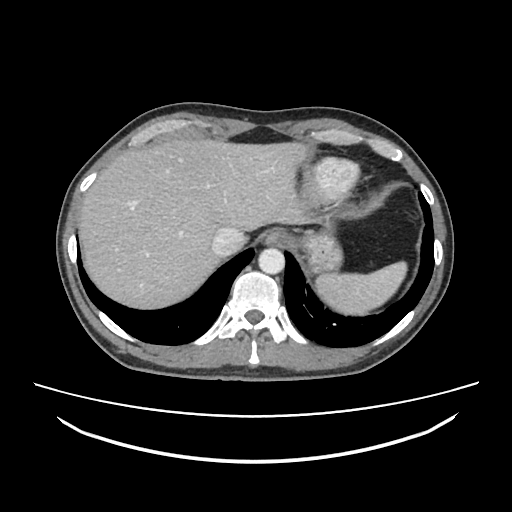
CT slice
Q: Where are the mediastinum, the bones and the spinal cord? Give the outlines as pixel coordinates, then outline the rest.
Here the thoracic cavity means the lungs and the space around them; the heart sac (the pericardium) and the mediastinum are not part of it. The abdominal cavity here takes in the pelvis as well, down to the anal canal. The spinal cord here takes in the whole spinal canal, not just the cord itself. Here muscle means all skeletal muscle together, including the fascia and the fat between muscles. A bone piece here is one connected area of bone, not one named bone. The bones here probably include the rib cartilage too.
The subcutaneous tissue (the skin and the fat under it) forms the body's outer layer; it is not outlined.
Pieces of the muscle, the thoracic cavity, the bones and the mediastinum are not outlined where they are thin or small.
A: Outlines:
mediastinum 1: 335,219 359,216 394,185 401,182 411,184 410,176 399,164 360,145 347,147 312,142 291,137 264,127 259,127 244,132 225,141 298,141 304,143 307,146 307,150 298,164 294,176 295,191 297,198 312,214
mediastinum 2: 283,286 285,254 287,252 289,253 290,252 283,232 282,231 277,231 273,233 266,234 258,240 257,243 251,248 254,248 255,249 252,259 241,271 243,271 245,273 246,272 255,271 271,276 279,276 282,279
bones 1: 254,365 259,363 257,338 265,330 275,343 288,337 302,345 309,342 293,325 285,305 278,301 275,280 255,272 238,279 233,295 217,319 205,333 191,342 201,346 216,337 234,337 243,330 251,340 248,362 with a hole at 253,324 254,324 255,323 256,323 257,322 258,322 263,317 263,315 260,312 259,312 258,311 249,311 247,313 246,313 246,314 245,315 245,316 247,318 247,319 251,323 252,323
bones 2: 396,162 399,162 402,159 402,152 399,149 395,148 385,141 377,140 376,139 367,139 361,136 350,134 343,131 334,131 333,130 311,130 306,132 308,137 329,143 351,144 352,143 364,142 376,152
bones 3: 129,146 135,146 139,143 143,143 155,134 170,131 174,129 179,129 182,127 186,126 189,124 190,122 186,120 168,120 167,121 165,121 163,123 158,123 151,127 146,128 145,130 132,137 128,143 128,145
bones 4: 374,346 376,345 378,345 384,342 386,340 393,337 395,335 399,333 411,321 411,320 414,316 414,314 415,313 415,310 414,309 411,310 408,313 407,313 390,330 389,330 381,337 374,340 372,342 372,344
bones 5: 131,342 135,342 135,338 132,337 129,334 128,334 125,331 124,331 102,311 99,310 97,308 96,309 96,313 97,314 99,319 102,322 102,323 108,329 109,329 116,335 117,335 128,341 130,341
bones 6: 78,269 78,264 77,263 77,260 78,259 78,248 77,247 77,238 76,237 76,234 74,233 72,234 69,237 68,239 68,242 67,243 67,250 68,251 69,258 72,264 76,268
bones 7: 434,268 435,267 436,267 439,265 439,264 441,261 441,259 442,258 442,255 443,254 443,251 442,250 442,246 441,245 441,243 440,242 440,241 437,238 435,238 434,239 434,242 433,243 433,258 434,259
bones 8: 81,192 85,192 88,189 88,188 91,185 91,184 94,181 95,178 97,176 97,173 96,172 93,172 91,174 88,175 85,178 84,178 84,179 82,181 82,182 80,185 80,187 79,188 79,190
bones 9: 430,207 433,205 433,196 432,195 432,194 431,193 430,190 424,184 421,183 419,185 419,190 420,191 420,192 423,195 423,196 424,197 425,200 427,202 428,205
spinal cord: 253,324 254,324 255,323 256,323 257,322 258,322 263,317 263,315 260,312 259,312 258,311 249,311 247,313 246,313 246,314 245,315 245,316 247,318 247,319 251,323 252,323
abdominal cavity: 346,316 381,312 414,282 425,221 413,185 394,186 359,217 335,220 312,215 296,198 293,176 304,144 182,140 120,155 86,192 76,233 82,267 100,291 125,306 180,303 232,256 266,233 282,230 314,292
thoracic cavity 1: 336,348 355,347 381,336 412,309 422,296 433,269 432,243 434,236 429,207 419,192 426,226 416,279 396,304 381,313 359,317 346,317 332,312 313,292 295,258 288,253 286,254 283,294 291,320 308,339
thoracic cavity 2: 160,345 179,345 187,343 197,338 208,329 216,319 225,302 224,300 231,283 251,259 254,249 236,255 221,265 192,296 180,304 153,310 125,307 100,292 82,269 79,254 80,278 92,302 132,336 147,343
muscle 1: 297,372 305,372 306,371 314,371 315,370 328,370 339,367 345,367 374,354 383,347 402,337 419,320 431,304 440,287 443,275 444,262 445,261 445,239 446,238 446,230 444,225 442,211 434,188 414,161 397,144 386,138 384,138 372,132 366,131 361,128 358,128 339,119 335,119 334,118 310,118 309,119 300,119 299,120 286,120 273,123 254,123 247,119 240,120 233,118 217,117 216,116 182,111 155,117 138,126 110,147 86,171 76,185 72,195 72,198 70,202 69,209 67,213 67,217 62,233 62,251 63,252 63,257 64,258 64,263 65,264 67,277 75,300 82,313 92,327 99,334 112,344 115,345 121,351 125,353 129,353 138,358 146,361 149,361 158,365 170,368 179,368 180,369 187,369 188,368 206,368 210,369 211,368 220,368 225,365 243,366 246,369 255,369 260,366 270,366 271,367 277,366, around holes outlined by 254,365 265,330 275,343 344,348 378,345 411,321 443,251 433,196 411,184 399,149 343,131 308,131 319,143 259,127 224,142 167,141 122,154 84,178 67,250 102,323 128,341 160,345 201,346 243,330 and by 129,146 135,146 139,143 143,143 155,134 170,131 174,129 179,129 182,127 186,126 189,124 190,122 186,120 168,120 167,121 165,121 163,123 158,123 151,127 146,128 145,130 132,137 128,143 128,145
muscle 2: 282,304 284,304 284,300 283,299 283,295 282,294 282,282 281,281 281,279 279,277 273,277 276,280 276,281 279,284 279,301 280,301 281,302 281,303
muscle 3: 225,301 232,295 232,291 233,290 233,287 234,286 237,279 238,278 239,278 244,273 243,272 241,272 240,273 239,273 239,274 236,277 236,278 232,283 232,285 230,288 230,290 228,293 228,295 227,296
torso: 244,382 313,380 361,373 406,345 445,294 453,269 454,233 442,189 400,135 367,115 330,106 254,110 207,102 166,104 138,115 119,129 82,165 67,187 55,231 55,256 66,296 89,337 131,370 177,378